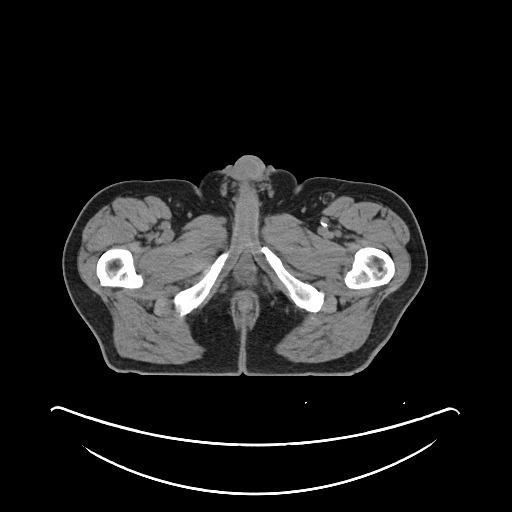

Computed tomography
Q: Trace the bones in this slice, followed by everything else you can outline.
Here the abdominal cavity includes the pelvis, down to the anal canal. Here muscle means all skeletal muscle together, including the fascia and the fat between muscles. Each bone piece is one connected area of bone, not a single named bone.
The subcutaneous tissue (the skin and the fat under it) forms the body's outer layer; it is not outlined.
A: The bones appear in 4 outlined pieces: piece 1: 366,246 375,247 388,253 394,263 394,266 395,267 394,274 391,279 386,284 380,286 370,287 369,288 362,288 361,289 352,289 349,288 345,284 344,281 345,274 351,268 354,259 354,254 355,252 358,249; piece 2: 113,247 124,248 129,250 131,252 133,257 133,261 134,262 134,266 136,272 140,274 143,278 143,284 141,287 139,288 125,288 124,287 104,286 100,284 100,281 96,274 97,261 102,253 109,248 112,248; piece 3: 262,246 267,246 281,260 284,267 292,275 304,282 311,284 318,290 324,293 324,300 320,310 317,312 310,312 303,308 298,307 294,303 289,297 286,287 279,279 275,271 269,265 264,255 260,251 260,248; piece 4: 225,251 229,251 229,254 213,285 210,288 209,292 206,297 196,308 193,309 184,316 180,317 179,316 179,313 176,310 173,302 173,298 175,294 183,289 190,287 199,281 203,276 203,270 207,268 222,252. The muscle appears in 3 outlined pieces: piece 1: 129,191 153,194 161,198 174,215 188,221 202,214 224,216 227,219 237,260 218,291 191,318 191,333 206,348 199,359 181,364 159,364 120,356 113,343 113,322 108,309 79,275 77,256 86,223 106,203 with holes at 113,247 124,248 129,250 131,252 133,257 133,261 134,262 134,266 136,272 140,274 143,278 143,284 141,287 139,288 125,288 124,287 104,286 100,284 100,281 96,274 97,261 102,253 109,248 112,248 and at 225,251 229,251 229,254 213,285 210,288 209,292 206,297 196,308 193,309 184,316 180,317 179,316 179,313 176,310 173,302 173,298 175,294 183,289 190,287 199,281 203,276 203,270 207,268 222,252; piece 2: 342,195 367,196 375,198 384,201 393,209 405,222 409,229 410,238 408,252 411,259 411,269 406,281 381,303 374,318 370,334 360,348 339,358 327,361 317,363 293,362 276,353 274,350 274,346 294,326 298,324 296,312 293,306 259,268 254,260 253,253 261,232 264,217 266,215 284,212 289,213 304,222 307,218 311,218 318,214 335,198, around holes outlined by 366,246 375,247 388,253 394,263 394,266 395,267 394,274 391,279 386,284 380,286 370,287 369,288 362,288 361,289 352,289 349,288 345,284 344,281 345,274 351,268 354,259 354,254 355,252 358,249 and by 262,246 267,246 281,260 284,267 292,275 304,282 311,284 318,290 324,293 324,300 320,310 317,312 310,312 303,308 298,307 294,303 289,297 286,287 279,279 275,271 269,265 264,255 260,251 260,248; piece 3: 245,289 254,291 254,292 258,295 258,300 259,301 259,314 255,321 255,323 251,329 247,329 246,330 244,330 243,329 238,329 235,327 233,322 232,316 230,313 230,298 232,296 232,294 234,291 244,290, around a hole outlined by 243,294 248,294 249,295 251,295 254,298 255,298 255,312 253,314 253,317 252,317 251,319 245,324 245,325 240,323 240,320 238,319 238,316 236,314 236,310 235,309 235,301 236,300 236,296 239,296. The abdominal cavity is outlined by 243,294 248,294 249,295 251,295 254,298 255,298 255,312 253,314 253,317 252,317 251,319 245,324 245,325 240,323 240,320 238,319 238,316 236,314 236,310 235,309 235,301 236,300 236,296 239,296. The torso is outlined by 246,154 291,172 299,182 315,176 370,182 393,190 408,203 425,243 427,273 391,336 367,367 347,376 141,375 111,369 73,305 63,278 62,252 79,212 97,191 110,184 166,178 197,184 207,172 232,164.